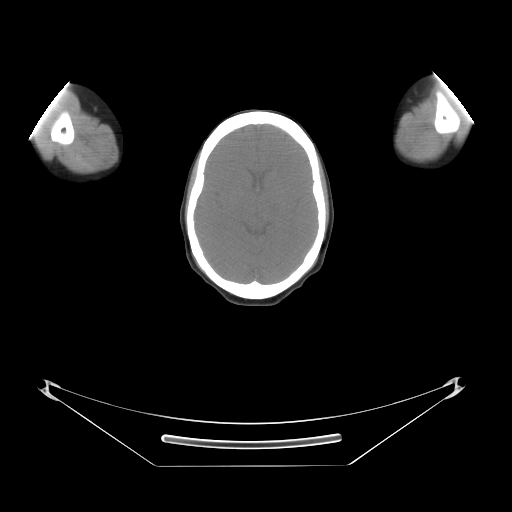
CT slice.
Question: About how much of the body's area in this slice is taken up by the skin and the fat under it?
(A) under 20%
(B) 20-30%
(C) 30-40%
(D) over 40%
Answer: (A) under 20%
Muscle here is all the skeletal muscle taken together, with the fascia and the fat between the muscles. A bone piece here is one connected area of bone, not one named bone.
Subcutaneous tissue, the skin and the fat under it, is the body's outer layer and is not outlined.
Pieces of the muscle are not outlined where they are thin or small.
head: 248,108 274,109 284,112 295,118 305,128 321,153 328,172 333,197 333,229 321,268 300,288 282,301 270,306 244,306 231,303 205,283 187,261 179,226 179,208 184,184 197,149 208,133 222,119 233,112
muscle 1: 58,90 68,90 72,92 79,99 80,106 85,112 110,125 114,132 119,151 118,160 110,168 91,174 77,174 68,170 56,160 50,162 44,160 39,154 36,143 29,136 37,118 45,110 with a hole at 59,110 60,111 62,110 65,110 67,111 69,113 69,115 72,122 72,125 74,130 74,138 73,139 73,141 69,144 61,144 58,142 53,141 51,139 51,136 50,135 50,127 51,126 51,122 56,113
muscle 2: 441,79 446,81 455,90 473,117 474,122 462,143 459,146 454,146 451,144 447,150 438,159 434,161 425,163 418,163 411,161 401,155 396,148 395,135 399,120 401,116 405,115 428,95 430,95 435,83, around a hole outlined by 437,90 440,92 443,97 458,115 460,123 457,130 455,132 449,132 448,133 443,133 442,134 441,133 438,133 435,129 435,127 434,126 434,120 435,119 435,112 436,111 436,102 437,101 436,91
muscle 3: 319,158 323,171 324,172 324,176 326,181 327,193 328,194 328,203 329,204 329,220 328,221 326,232 326,204 325,203 325,197 324,196 324,192 323,191 323,187 322,186 322,181 321,180 321,176 320,175
muscle 4: 196,160 196,169 195,170 195,175 194,176 193,183 190,189 190,192 188,195 188,199 186,204 185,224 185,220 184,219 184,210 185,209 185,202 186,201 186,196 187,195 187,189 188,188 191,173
brain: 249,125 270,125 278,128 290,136 302,148 310,168 311,193 316,208 317,227 315,235 301,262 282,279 267,283 256,279 248,282 240,282 222,276 206,257 195,227 195,211 205,183 205,169 208,158 225,136
bones 1: 254,110 264,110 286,116 296,122 309,136 318,156 319,175 325,204 324,238 312,266 285,290 274,296 262,299 240,297 214,283 199,267 192,255 186,231 187,204 196,175 198,156 204,141 212,130 226,118, around a hole outlined by 249,125 270,125 278,128 290,136 302,148 310,168 311,193 316,208 317,227 315,235 301,262 282,279 267,283 256,279 248,282 240,282 222,276 206,257 195,227 195,211 205,183 205,169 208,158 225,136
bones 2: 437,90 440,92 443,97 458,115 460,123 457,130 455,132 449,132 448,133 443,133 442,134 441,133 438,133 435,129 435,127 434,126 434,120 435,119 435,112 436,111 436,102 437,101 436,91
bones 3: 59,110 60,111 62,110 65,110 67,111 69,113 69,115 72,122 72,125 74,130 74,138 73,139 73,141 69,144 61,144 58,142 53,141 51,139 51,136 50,135 50,127 51,126 51,122 56,113
left arm: 431,70 434,70 441,79 446,81 455,90 456,93 473,117 474,122 465,137 462,145 462,152 451,165 444,169 437,171 424,171 405,166 396,159 393,154 391,147 390,132 394,111 402,94 406,88 416,78
right arm: 71,81 81,83 90,87 107,102 120,123 124,139 123,159 119,169 113,175 103,180 79,185 64,183 53,178 48,174 36,158 29,143 29,136 37,118 48,106 53,99 55,93 58,90 60,90 67,82